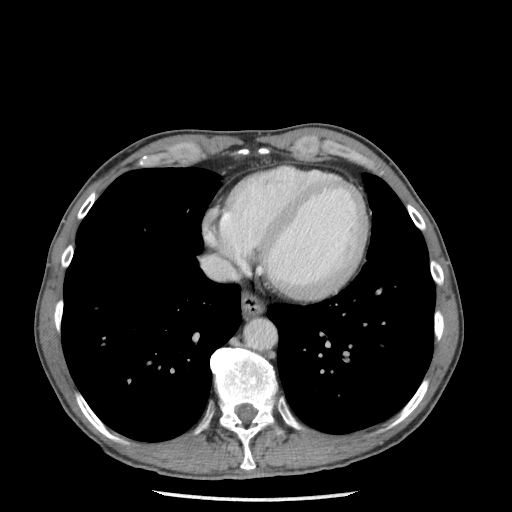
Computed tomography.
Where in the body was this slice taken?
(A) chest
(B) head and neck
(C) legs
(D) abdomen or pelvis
Answer: (A) chest
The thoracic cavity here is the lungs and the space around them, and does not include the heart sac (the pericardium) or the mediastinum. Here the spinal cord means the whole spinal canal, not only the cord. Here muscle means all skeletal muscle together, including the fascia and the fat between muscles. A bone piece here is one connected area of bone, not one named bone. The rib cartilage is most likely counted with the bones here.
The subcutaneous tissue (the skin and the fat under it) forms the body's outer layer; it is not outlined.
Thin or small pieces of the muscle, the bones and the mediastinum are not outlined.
The bones appear in 10 outlined pieces: piece 1: [[220,347],[244,348],[267,360],[276,372],[279,391],[304,426],[301,430],[288,426],[276,412],[275,422],[250,439],[249,447],[256,464],[253,469],[240,467],[243,445],[235,432],[218,423],[217,407],[209,426],[193,434],[209,399],[214,397],[209,359]] with a hole at [[245,403],[247,403],[248,404],[250,404],[252,405],[252,406],[257,410],[257,412],[255,416],[251,420],[250,423],[248,425],[245,425],[243,423],[241,419],[238,416],[238,415],[235,412],[235,408],[236,406],[238,405],[240,405],[241,404],[244,404]]; piece 2: [[308,136],[317,136],[321,138],[321,142],[322,143],[324,140],[331,140],[342,144],[371,159],[374,162],[374,166],[372,169],[368,169],[343,157],[329,154],[321,148],[318,153],[314,155],[308,152],[301,152],[296,149],[295,143],[298,140]]; piece 3: [[182,142],[191,143],[195,146],[197,146],[199,149],[199,151],[197,153],[187,157],[162,159],[156,166],[153,166],[152,167],[139,167],[138,166],[137,162],[143,155],[150,155],[151,154],[157,154],[158,153],[167,153],[169,151],[169,149],[172,146]]; piece 4: [[77,390],[80,392],[88,405],[95,413],[95,414],[103,422],[109,431],[111,433],[113,433],[123,438],[125,438],[129,442],[128,444],[122,444],[121,443],[116,442],[106,437],[94,427],[94,426],[83,414],[76,401],[74,393],[75,391]]; piece 5: [[425,377],[429,380],[429,384],[428,385],[427,390],[421,401],[411,412],[411,413],[401,422],[398,423],[393,427],[383,431],[377,431],[379,429],[382,429],[386,427],[394,420],[397,415],[401,411],[403,407],[412,397],[421,383],[422,380]]; piece 6: [[436,309],[438,309],[439,310],[440,310],[440,311],[442,313],[442,314],[443,315],[443,317],[444,318],[444,328],[443,329],[443,332],[442,333],[442,335],[441,336],[441,338],[438,341],[436,341],[434,339],[434,312],[435,311],[435,310]]; piece 7: [[408,203],[409,204],[412,205],[420,213],[420,214],[422,216],[422,217],[424,220],[424,222],[425,223],[425,229],[422,232],[417,227],[416,227],[416,226],[414,224],[413,221],[411,219],[411,218],[410,217],[410,216],[405,207],[406,204],[407,204]]; piece 8: [[92,191],[95,191],[95,192],[97,195],[97,198],[93,203],[92,206],[90,208],[90,209],[88,211],[88,212],[86,214],[86,215],[80,221],[77,218],[77,213],[78,212],[78,211],[79,210],[81,205],[83,203],[83,202],[86,199],[86,198]]; piece 9: [[432,259],[433,260],[435,260],[441,266],[441,267],[442,268],[442,270],[443,271],[443,283],[441,285],[437,285],[434,282],[434,281],[432,278],[432,276],[431,275],[431,273],[430,272],[430,267],[429,266],[429,261]]; piece 10: [[61,298],[63,299],[63,312],[62,313],[62,316],[61,317],[61,325],[60,326],[60,333],[59,333],[57,332],[56,330],[56,328],[55,327],[55,324],[54,323],[54,308],[55,307],[55,304],[56,302],[59,299]]. The muscle is outlined by [[308,127],[334,130],[368,147],[403,182],[432,224],[459,321],[456,349],[440,384],[412,421],[367,451],[308,467],[256,467],[251,439],[276,422],[276,413],[297,431],[304,424],[329,434],[375,426],[400,410],[376,431],[383,432],[412,413],[428,390],[425,374],[434,340],[442,338],[445,328],[443,313],[435,309],[436,285],[444,283],[444,271],[435,259],[429,260],[421,213],[408,202],[404,205],[370,170],[375,162],[353,148],[308,135],[294,143],[296,150],[314,156],[321,149],[345,159],[316,161],[271,153],[261,145],[256,149],[260,155],[241,147],[234,152],[238,156],[157,166],[197,154],[197,145],[182,141],[167,152],[143,154],[138,168],[119,175],[98,197],[92,190],[82,202],[75,247],[69,243],[60,255],[63,297],[54,304],[53,323],[78,389],[75,401],[106,438],[130,443],[108,428],[147,443],[192,428],[198,435],[210,426],[217,408],[217,423],[236,434],[243,457],[240,468],[202,474],[118,452],[72,411],[39,339],[52,251],[71,209],[89,184],[158,139],[178,134],[251,137]]. The thoracic cavity appears in 2 outlined pieces: piece 1: [[153,167],[195,167],[220,176],[219,187],[201,220],[203,246],[195,258],[209,280],[239,287],[240,322],[229,339],[209,356],[213,397],[208,399],[199,421],[175,437],[147,442],[108,427],[89,405],[67,365],[61,326],[64,279],[81,221],[119,176]]; piece 2: [[364,174],[380,177],[391,188],[423,236],[429,272],[435,284],[433,349],[423,378],[394,415],[363,429],[329,433],[300,421],[280,391],[277,376],[279,332],[267,311],[277,303],[305,306],[331,298],[360,272],[367,261],[372,226],[372,210],[365,189]]. The torso is outlined by [[306,122],[339,125],[375,143],[399,166],[435,219],[456,276],[464,317],[463,347],[444,391],[425,420],[400,444],[336,469],[208,480],[143,471],[119,462],[65,413],[34,343],[35,304],[48,248],[64,211],[105,160],[146,135],[180,128],[274,129]]. The pericardium is outlined by [[275,162],[321,164],[337,167],[345,171],[358,183],[371,212],[370,237],[366,251],[366,261],[356,276],[344,288],[331,297],[314,303],[303,305],[262,300],[253,295],[247,288],[240,273],[229,260],[204,244],[202,220],[218,189],[233,176],[241,172]]. The mediastinum appears in 2 outlined pieces: piece 1: [[204,245],[233,265],[244,285],[253,296],[262,301],[276,303],[271,304],[266,311],[267,316],[276,326],[278,332],[276,371],[267,359],[254,351],[240,346],[222,346],[235,333],[241,322],[240,287],[237,284],[218,283],[206,277],[196,258]]; piece 2: [[269,154],[291,156],[316,162],[345,160],[359,165],[375,174],[364,173],[362,175],[368,203],[359,183],[345,170],[337,166],[321,163],[275,161],[241,171],[233,175],[220,186],[221,176],[217,173],[201,167],[187,166],[215,156],[227,155],[238,157]]. The spinal cord is outlined by [[245,403],[247,403],[248,404],[250,404],[252,405],[252,406],[257,410],[257,412],[255,416],[251,420],[250,423],[248,425],[245,425],[243,423],[241,419],[238,416],[238,415],[235,412],[235,408],[236,406],[238,405],[240,405],[241,404],[244,404]].